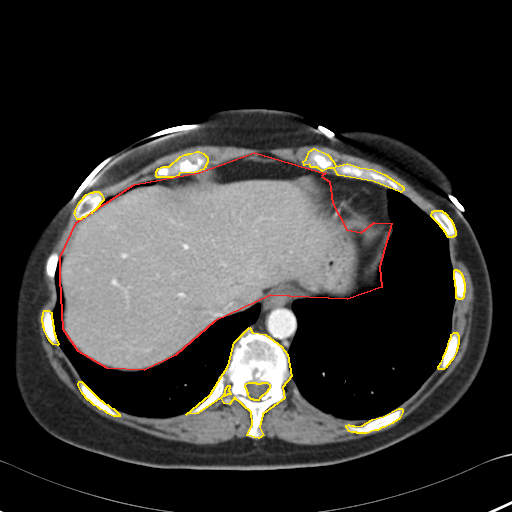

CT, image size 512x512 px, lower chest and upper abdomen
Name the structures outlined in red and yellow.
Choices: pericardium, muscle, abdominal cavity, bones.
red: abdominal cavity; yellow: bones.
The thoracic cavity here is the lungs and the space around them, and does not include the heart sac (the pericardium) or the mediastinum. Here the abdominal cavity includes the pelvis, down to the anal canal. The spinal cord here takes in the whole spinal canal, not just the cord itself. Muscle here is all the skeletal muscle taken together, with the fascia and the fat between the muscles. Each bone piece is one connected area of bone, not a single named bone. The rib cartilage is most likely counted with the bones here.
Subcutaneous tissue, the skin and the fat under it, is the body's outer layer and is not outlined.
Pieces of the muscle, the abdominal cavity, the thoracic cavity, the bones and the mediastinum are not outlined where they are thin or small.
Outlines:
abdominal cavity: (254, 152) (325, 173) (321, 176) (329, 181) (332, 203) (346, 229) (361, 232) (374, 222) (391, 223) (379, 266) (381, 287) (347, 299) (270, 295) (214, 321) (175, 355) (144, 370) (107, 368) (78, 351) (63, 329) (60, 278) (60, 257) (76, 222) (134, 184) (199, 172)
bones 1: (249, 327) (252, 332) (265, 334) (281, 346) (287, 354) (291, 376) (282, 387) (284, 398) (262, 414) (259, 427) (263, 435) (258, 438) (247, 435) (252, 424) (251, 412) (234, 397) (229, 404) (224, 403) (221, 397) (197, 413) (186, 414) (210, 394) (228, 365) (234, 342); inner edges: (248, 382) (255, 382) (256, 383) (261, 383) (262, 382) (266, 382) (269, 384) (269, 388) (267, 390) (267, 391) (259, 398) (258, 400) (254, 400) (253, 399) (251, 399) (249, 397) (248, 395) (248, 393) (247, 392) (247, 390) (245, 387) (245, 385) (246, 383), then (228, 385) (229, 385) (229, 388) (228, 389) (228, 390) (229, 391) (229, 392) (230, 393) (230, 394) (227, 394) (226, 395) (225, 395) (224, 396) (223, 396) (223, 395) (224, 394) (224, 393) (225, 392) (225, 389) (226, 388) (226, 387)
bones 2: (314, 148) (327, 154) (333, 161) (335, 166) (347, 163) (359, 167) (373, 169) (384, 174) (401, 185) (403, 187) (403, 190) (400, 192) (373, 181) (338, 175) (334, 168) (328, 168) (322, 171) (317, 167) (311, 167) (309, 164) (304, 165) (303, 161) (306, 159) (309, 151)
bones 3: (196, 151) (199, 151) (203, 153) (207, 157) (207, 162) (205, 165) (205, 167) (204, 167) (203, 169) (195, 172) (179, 173) (178, 175) (173, 177) (157, 177) (156, 176) (156, 171) (158, 168) (162, 166) (169, 166) (180, 156) (184, 154) (187, 154) (188, 153) (191, 153)
bones 4: (398, 408) (401, 408) (402, 409) (402, 412) (399, 418) (392, 423) (384, 427) (382, 427) (377, 430) (374, 430) (366, 433) (357, 433) (356, 432) (351, 432) (349, 431) (346, 427) (346, 425) (348, 424) (349, 425) (353, 425) (354, 426) (362, 425) (372, 419) (383, 416)
bones 5: (94, 191) (98, 191) (101, 194) (103, 198) (103, 200) (99, 204) (99, 205) (93, 211) (91, 212) (91, 213) (86, 215) (84, 217) (82, 217) (80, 219) (77, 219) (74, 213) (75, 212) (75, 210) (79, 202) (86, 194) (90, 192) (93, 192)
bones 6: (79, 381) (81, 381) (100, 400) (101, 400) (104, 403) (107, 404) (109, 406) (113, 408) (119, 414) (119, 416) (113, 416) (107, 413) (105, 411) (100, 409) (98, 407) (94, 405) (89, 400) (88, 400) (82, 393) (78, 385) (78, 383)
bones 7: (434, 210) (441, 210) (443, 212) (444, 212) (451, 220) (451, 221) (453, 224) (454, 229) (455, 230) (455, 235) (454, 236) (453, 236) (452, 237) (448, 237) (447, 236) (446, 233) (444, 231) (444, 230) (440, 226) (440, 225) (431, 216) (432, 211) (433, 211)
bones 8: (454, 332) (456, 332) (458, 335) (458, 344) (457, 345) (457, 348) (456, 349) (456, 351) (452, 359) (446, 366) (446, 367) (443, 369) (439, 369) (438, 368) (438, 366) (441, 362) (443, 358) (443, 356) (446, 351) (446, 349) (447, 348) (449, 340) (451, 337) (451, 334)
bones 9: (44, 310) (48, 310) (51, 312) (51, 318) (52, 319) (52, 324) (53, 325) (53, 331) (54, 332) (54, 334) (55, 335) (55, 337) (58, 344) (57, 345) (53, 344) (49, 340) (44, 330) (44, 328) (43, 327) (43, 323) (42, 322) (42, 316) (43, 315) (43, 312)
bones 10: (455, 269) (456, 269) (457, 270) (458, 270) (461, 273) (461, 274) (462, 275) (462, 277) (463, 278) (463, 281) (464, 282) (464, 292) (463, 293) (463, 297) (461, 299) (458, 299) (457, 298) (456, 298) (456, 287) (455, 286) (455, 280) (454, 279) (454, 270)
torso: (234, 108) (296, 112) (337, 136) (346, 129) (385, 133) (414, 146) (445, 172) (454, 186) (451, 201) (477, 238) (491, 282) (491, 335) (475, 379) (429, 427) (383, 450) (331, 465) (159, 468) (58, 439) (30, 415) (14, 375) (16, 299) (34, 241) (111, 154) (148, 135)
thoracic cavity 1: (389, 188) (415, 203) (439, 225) (448, 239) (455, 287) (451, 333) (437, 367) (409, 398) (395, 409) (369, 420) (346, 419) (313, 405) (301, 394) (292, 379) (288, 352) (298, 328) (292, 304) (295, 300) (304, 298) (347, 300) (382, 287) (380, 266) (394, 228) (388, 210)
thoracic cavity 2: (60, 259) (63, 333) (78, 352) (107, 369) (120, 372) (151, 369) (175, 356) (214, 322) (256, 304) (260, 304) (260, 309) (255, 321) (233, 342) (227, 365) (201, 402) (177, 415) (140, 416) (114, 408) (100, 399) (82, 381) (60, 347) (52, 318) (56, 303) (55, 275)
spinal cord: (248, 382) (255, 382) (256, 383) (261, 383) (262, 382) (266, 382) (269, 384) (269, 388) (267, 390) (267, 391) (259, 398) (258, 400) (254, 400) (253, 399) (251, 399) (249, 397) (248, 395) (248, 393) (247, 392) (247, 390) (245, 387) (245, 385) (246, 383)
pericardium: (331, 180) (342, 184) (347, 184) (348, 185) (367, 188) (377, 198) (377, 208) (373, 215) (373, 223) (368, 228) (366, 229) (362, 229) (361, 231) (356, 231) (355, 230) (346, 228) (345, 223) (341, 219) (338, 213) (338, 211) (333, 203) (331, 190) (329, 185) (329, 183)
mediastinum 1: (270, 296) (280, 296) (282, 298) (291, 298) (294, 300) (291, 304) (291, 308) (297, 321) (297, 328) (294, 337) (289, 346) (287, 353) (282, 346) (273, 338) (265, 333) (259, 331) (252, 331) (252, 328) (249, 326) (253, 324) (258, 318) (262, 302) (264, 300) (269, 298)
mediastinum 2: (326, 173) (348, 178) (354, 178) (359, 180) (369, 181) (388, 188) (386, 195) (387, 196) (387, 210) (390, 221) (385, 224) (384, 223) (376, 223) (374, 221) (374, 215) (378, 208) (378, 198) (367, 187) (342, 183) (332, 179) (330, 181) (322, 176) (322, 174)
muscle 1: (455, 227) (459, 256) (469, 271) (473, 285) (474, 301) (467, 349) (460, 362) (446, 379) (410, 414) (394, 426) (383, 431) (357, 439) (315, 445) (292, 443) (276, 437) (258, 440) (253, 439) (258, 439) (262, 437) (264, 435) (260, 427) (263, 414) (273, 404) (285, 398) (286, 392) (283, 387) (290, 379) (294, 383) (292, 393) (299, 400) (303, 400) (302, 396) (316, 408) (338, 418) (346, 420) (367, 420) (358, 425) (346, 424) (346, 429) (351, 433) (366, 434) (377, 431) (400, 418) (403, 409) (398, 407) (409, 399) (437, 368) (439, 370) (445, 369) (453, 359) (458, 348) (459, 335) (456, 331) (452, 332) (452, 316) (455, 300) (461, 300) (464, 297) (465, 282) (462, 273) (456, 268) (453, 269) (450, 257) (448, 238) (456, 235)
muscle 2: (84, 194) (74, 210) (77, 221) (63, 253) (59, 256) (52, 251) (51, 252) (50, 253) (48, 255) (45, 261) (45, 262) (45, 263) (45, 273) (54, 279) (55, 303) (52, 311) (44, 309) (41, 316) (48, 340) (59, 346) (78, 374) (81, 380) (77, 385) (81, 393) (94, 406) (113, 417) (120, 416) (115, 409) (148, 418) (193, 415) (221, 398) (227, 405) (234, 398) (250, 412) (248, 437) (215, 444) (158, 437) (102, 416) (58, 378) (42, 346) (37, 319) (43, 301) (44, 264) (45, 260) (54, 243) (65, 226) (72, 208)
muscle 3: (196, 145) (224, 145) (257, 149) (298, 147) (303, 145) (326, 146) (363, 158) (391, 170) (440, 209) (432, 210) (429, 215) (408, 196) (402, 193) (404, 187) (389, 176) (373, 168) (353, 163) (343, 162) (335, 165) (327, 153) (316, 147) (308, 151) (302, 164) (269, 152) (254, 151) (207, 167) (208, 157) (203, 152) (196, 150) (180, 155) (169, 165) (158, 167) (155, 171) (157, 178) (134, 183) (104, 198) (98, 190) (87, 192) (120, 180) (161, 156)